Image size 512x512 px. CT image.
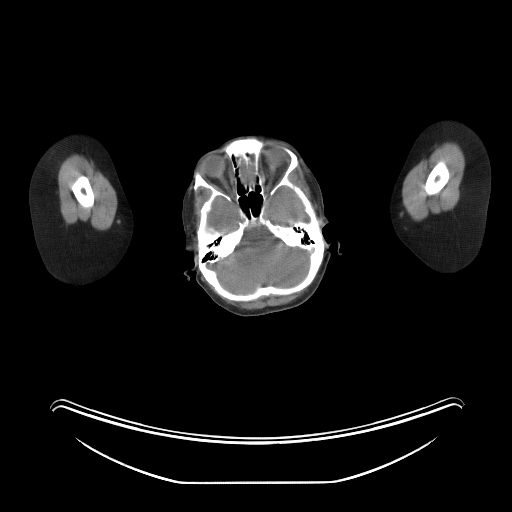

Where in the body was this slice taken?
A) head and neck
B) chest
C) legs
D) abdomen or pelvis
Answer: A) head and neck
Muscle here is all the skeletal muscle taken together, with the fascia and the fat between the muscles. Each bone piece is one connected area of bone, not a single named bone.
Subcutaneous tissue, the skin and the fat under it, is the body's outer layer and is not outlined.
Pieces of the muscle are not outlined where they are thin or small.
{"head":[{"outer":[[256,133],[285,140],[298,150],[321,189],[324,213],[330,222],[323,236],[327,241],[336,237],[341,254],[337,243],[331,243],[325,273],[302,304],[241,316],[216,304],[192,270],[189,280],[183,273],[194,259],[184,249],[182,200],[202,154],[230,137]],"hole":[[239,184],[243,188],[245,196],[248,196],[250,193],[255,192],[257,189],[257,187],[259,187],[258,191],[261,197],[261,202],[259,205],[257,213],[254,213],[251,207],[249,207],[247,211],[245,211],[240,205],[240,197],[241,196],[238,191]]}],"brain":[[[260,226],[264,227],[270,234],[286,246],[291,248],[299,248],[308,252],[308,266],[306,273],[299,281],[292,285],[258,285],[252,291],[234,292],[225,287],[221,283],[216,270],[212,266],[220,260],[229,256],[235,250],[242,240],[246,230]],[[282,187],[285,187],[289,189],[295,194],[302,205],[303,211],[307,216],[307,220],[298,218],[293,221],[291,221],[290,223],[286,225],[280,223],[274,223],[269,218],[266,217],[265,215],[266,214],[266,209],[268,206],[268,203],[270,199],[276,192]],[[216,198],[221,198],[225,200],[228,203],[230,204],[233,204],[233,205],[235,206],[236,211],[239,217],[241,219],[237,223],[237,226],[235,228],[225,232],[224,231],[219,230],[211,225],[208,225],[208,215],[212,210],[212,208],[213,207],[213,203]]],"left_arm":[[[444,117],[455,118],[464,122],[480,136],[486,147],[491,165],[491,193],[487,210],[485,234],[481,249],[476,258],[469,265],[452,274],[439,273],[430,268],[417,257],[399,239],[395,233],[391,223],[389,212],[390,197],[393,186],[414,140],[428,124]]],"right_arm":[[[73,132],[89,133],[98,138],[104,144],[112,158],[123,190],[130,204],[134,223],[131,241],[119,263],[103,278],[93,283],[82,286],[69,286],[63,284],[52,277],[45,269],[35,245],[28,207],[28,188],[30,178],[37,161],[52,143],[59,138]]],"muscle":[{"outer":[[449,140],[458,142],[462,147],[465,155],[466,162],[464,175],[460,186],[460,198],[452,210],[437,214],[430,213],[423,220],[414,221],[406,213],[402,213],[403,207],[401,203],[401,189],[404,178],[409,170],[421,158],[430,152],[435,143],[441,143]],"hole":[[439,161],[443,161],[445,163],[449,171],[449,174],[450,175],[445,185],[437,194],[434,194],[433,195],[428,195],[426,193],[423,186],[426,181],[426,179],[430,171],[432,169],[432,168]]},{"outer":[[72,153],[82,154],[88,159],[92,159],[95,166],[107,177],[115,189],[118,200],[116,215],[119,219],[119,223],[114,223],[109,229],[105,231],[98,231],[92,227],[81,227],[74,224],[66,225],[61,216],[59,210],[57,172],[60,163],[65,157]],"hole":[[79,175],[84,175],[86,176],[88,178],[89,180],[89,182],[90,183],[90,185],[92,188],[92,190],[94,194],[94,202],[93,203],[93,205],[90,208],[84,208],[77,201],[72,190],[70,188],[70,184],[71,184],[72,182],[73,182],[74,180]]},[[201,274],[219,296],[225,299],[236,302],[249,302],[254,301],[261,297],[267,297],[271,295],[274,296],[286,296],[299,292],[311,284],[311,285],[308,290],[300,297],[288,303],[276,306],[267,306],[260,309],[247,310],[237,308],[223,301],[202,280]],[[199,188],[203,188],[206,190],[208,190],[209,194],[207,198],[203,201],[199,209],[199,218],[195,230],[195,235],[196,236],[196,244],[195,244],[192,240],[189,229],[190,207],[191,206],[190,195],[191,196],[192,195],[193,189],[194,191],[196,191]],[[299,162],[299,164],[301,168],[307,177],[307,179],[311,187],[312,192],[319,203],[320,212],[322,216],[323,223],[318,218],[316,211],[312,204],[312,202],[309,199],[303,190],[291,179],[292,175],[299,166]]],"bones":[{"outer":[[248,137],[264,142],[259,172],[265,178],[265,185],[269,190],[279,181],[290,162],[283,147],[295,154],[298,166],[290,179],[311,202],[317,218],[323,224],[321,229],[325,245],[321,265],[311,283],[303,289],[286,295],[271,294],[254,300],[236,301],[219,295],[199,270],[196,230],[201,206],[210,191],[203,187],[194,190],[193,187],[194,174],[198,172],[208,183],[231,195],[233,174],[230,161],[222,148],[233,140]],"holes":[[[260,226],[264,227],[270,234],[286,246],[291,248],[299,248],[308,252],[308,266],[306,273],[299,281],[292,285],[258,285],[252,291],[234,292],[225,287],[221,283],[216,270],[212,266],[220,260],[229,256],[235,250],[242,240],[246,230]],[[282,187],[285,187],[289,189],[295,194],[302,205],[303,211],[307,216],[307,220],[298,218],[293,221],[291,221],[290,223],[286,225],[280,223],[274,223],[269,218],[266,217],[265,215],[266,214],[266,209],[268,206],[268,203],[270,199],[276,192]],[[216,198],[221,198],[225,200],[228,203],[230,204],[233,204],[233,205],[235,206],[236,211],[239,217],[241,219],[237,223],[237,226],[235,228],[225,232],[224,231],[219,230],[211,225],[208,225],[208,215],[212,210],[212,208],[213,207],[213,203]],[[239,184],[243,188],[245,196],[248,196],[250,193],[255,192],[257,189],[257,187],[259,187],[258,191],[261,197],[261,202],[259,205],[257,213],[254,213],[251,207],[249,207],[247,211],[245,211],[240,205],[240,197],[241,196],[238,191]]]},[[439,161],[443,161],[445,163],[449,171],[449,174],[450,175],[445,185],[437,194],[434,194],[433,195],[428,195],[426,193],[423,186],[426,181],[426,179],[430,171],[432,169],[432,168]],[[79,175],[84,175],[86,176],[88,178],[89,180],[89,182],[90,183],[90,185],[92,188],[92,190],[94,194],[94,202],[93,203],[93,205],[90,208],[84,208],[77,201],[72,190],[70,188],[70,184],[71,184],[72,182],[73,182],[74,180]]]}